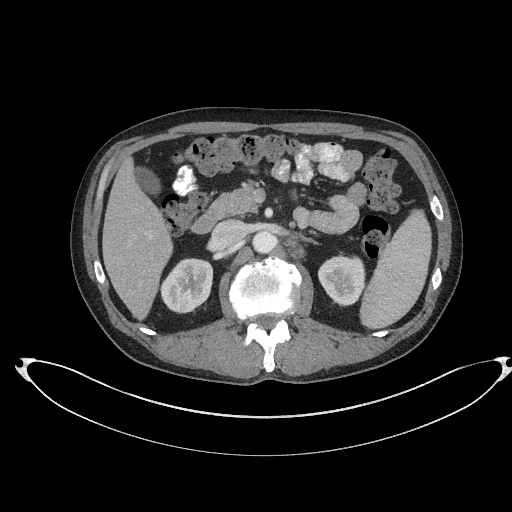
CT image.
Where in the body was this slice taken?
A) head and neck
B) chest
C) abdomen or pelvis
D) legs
C) abdomen or pelvis
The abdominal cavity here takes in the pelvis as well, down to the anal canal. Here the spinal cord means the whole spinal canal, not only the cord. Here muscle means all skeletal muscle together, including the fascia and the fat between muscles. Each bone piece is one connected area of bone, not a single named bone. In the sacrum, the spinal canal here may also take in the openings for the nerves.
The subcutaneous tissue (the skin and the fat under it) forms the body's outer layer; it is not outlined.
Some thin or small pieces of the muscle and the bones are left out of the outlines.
{"muscle":[{"outer":[[243,379],[265,371],[261,363],[263,350],[255,342],[247,347],[242,345],[246,322],[235,316],[227,300],[233,275],[231,272],[225,271],[220,278],[218,296],[221,311],[217,319],[194,328],[156,331],[157,334],[153,337],[140,332],[139,324],[123,316],[111,298],[107,282],[100,285],[96,281],[92,263],[99,258],[97,236],[104,195],[121,164],[131,153],[157,142],[185,135],[246,132],[269,127],[284,132],[336,135],[383,142],[410,165],[427,198],[432,194],[439,198],[444,210],[444,220],[439,222],[435,219],[437,250],[434,266],[438,265],[441,269],[441,285],[433,291],[430,283],[422,307],[416,315],[382,338],[334,327],[314,319],[311,316],[315,293],[312,279],[302,264],[295,264],[303,277],[301,297],[296,312],[286,317],[292,337],[288,342],[277,345],[274,370],[287,376],[299,376],[361,362],[379,355],[419,330],[434,308],[449,264],[451,218],[444,192],[430,162],[412,138],[401,132],[331,121],[192,121],[120,140],[102,156],[93,172],[85,198],[82,241],[88,275],[112,325],[162,361]],"hole":[[99,202],[103,194],[104,184],[105,183],[105,180],[106,179],[106,177],[107,176],[107,174],[109,170],[109,166],[107,165],[106,165],[104,167],[101,173],[100,179],[99,180],[99,183],[98,184],[98,188],[96,192],[96,199],[97,201]]}],"abdominal_cavity":[[[366,333],[399,327],[415,315],[436,250],[424,190],[409,165],[385,144],[269,128],[185,136],[131,154],[115,174],[105,195],[98,248],[112,298],[129,320],[161,331],[209,322],[219,316],[221,274],[252,259],[275,256],[302,263],[310,272],[314,318]]],"bones":[{"outer":[[266,371],[274,369],[273,354],[276,345],[288,341],[291,337],[285,317],[293,314],[296,310],[302,279],[294,264],[275,257],[252,260],[240,267],[234,273],[228,292],[228,300],[236,316],[247,322],[243,345],[247,346],[255,341],[263,348],[262,363]],"hole":[[267,332],[269,332],[269,331],[274,326],[275,323],[277,321],[277,318],[275,316],[273,315],[270,315],[269,314],[265,314],[264,315],[259,315],[257,316],[255,319],[255,321],[259,325],[260,327],[262,328],[264,328]]},[[439,221],[442,221],[443,220],[443,210],[442,209],[441,204],[438,198],[435,195],[432,195],[431,197],[429,198],[428,200],[428,202],[429,203],[429,206],[430,207],[430,209],[434,217],[437,220]],[[99,202],[103,194],[104,184],[105,183],[105,180],[106,179],[106,177],[107,176],[107,174],[109,170],[109,166],[107,165],[106,165],[104,167],[101,173],[100,179],[99,180],[99,183],[98,184],[98,188],[96,192],[96,199],[97,201]],[[100,284],[104,284],[104,283],[106,281],[106,279],[105,278],[105,275],[104,274],[104,272],[103,271],[103,268],[101,265],[100,260],[99,259],[96,259],[94,260],[93,265],[94,266],[94,271],[95,272],[95,276],[96,277],[96,279],[97,281]],[[433,290],[435,290],[438,288],[438,287],[440,285],[440,283],[441,282],[441,279],[442,278],[441,277],[441,272],[438,266],[435,266],[434,267],[433,269],[433,271],[432,272],[432,274],[431,275],[431,283],[432,284],[432,288]],[[152,336],[153,336],[156,334],[156,332],[154,330],[153,330],[150,328],[148,328],[145,326],[143,326],[142,325],[141,325],[140,326],[139,326],[139,330],[140,331],[141,331],[143,333],[144,333],[145,334],[147,334],[148,335],[151,335]]],"torso":[[[232,386],[269,379],[313,384],[354,376],[406,355],[430,334],[460,277],[463,230],[457,202],[439,163],[411,129],[385,118],[337,110],[207,106],[134,124],[112,136],[94,154],[76,192],[69,234],[75,282],[90,313],[112,343],[135,363],[181,378]]],"spinal_cord":[[[267,332],[269,332],[269,331],[274,326],[275,323],[277,321],[277,318],[275,316],[273,315],[270,315],[269,314],[265,314],[264,315],[259,315],[257,316],[255,319],[255,321],[259,325],[260,327],[262,328],[264,328]]]}